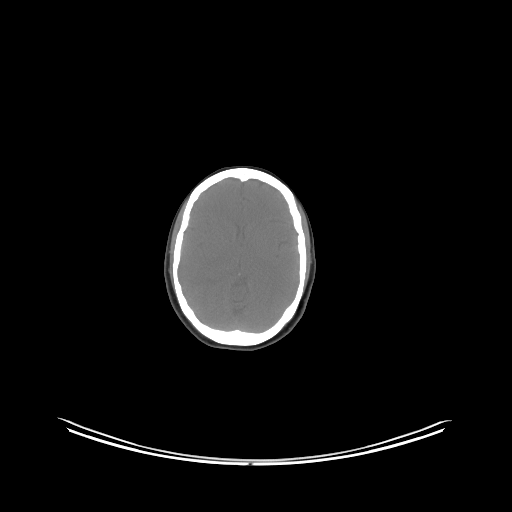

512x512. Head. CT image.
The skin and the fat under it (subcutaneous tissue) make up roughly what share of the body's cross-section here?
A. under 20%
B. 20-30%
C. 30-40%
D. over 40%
A. under 20%
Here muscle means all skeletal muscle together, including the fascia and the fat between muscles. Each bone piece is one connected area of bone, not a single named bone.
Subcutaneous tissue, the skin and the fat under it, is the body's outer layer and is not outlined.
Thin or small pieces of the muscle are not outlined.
The head is outlined by 228,165 260,166 279,176 301,200 312,226 315,243 315,278 303,316 293,330 281,340 273,345 246,354 228,354 216,351 187,333 171,308 163,276 163,259 166,239 171,221 179,204 186,194 207,174 217,168. The bones are outlined by 238,167 252,168 266,172 283,182 292,191 301,217 301,226 305,240 305,276 303,293 297,309 291,319 275,335 253,345 223,344 200,333 183,314 175,294 173,282 173,256 176,236 191,191 205,178 217,172, around a hole outlined by 228,178 234,178 241,182 251,179 257,180 277,190 286,203 292,227 296,233 298,282 294,295 280,316 270,326 260,331 248,331 239,328 222,329 203,322 189,304 179,279 178,270 184,235 194,204 203,192. The brain is outlined by 228,178 234,178 241,182 251,179 257,180 277,190 286,203 292,227 296,233 298,282 294,295 280,316 270,326 260,331 248,331 239,328 222,329 203,322 189,304 179,279 178,270 184,235 194,204 203,192. The muscle appears in 2 outlined pieces: piece 1: 297,201 302,209 302,211 304,213 306,219 308,231 309,232 309,240 310,241 311,263 310,264 309,277 304,291 304,282 306,276 306,260 307,259 307,256 306,255 306,240 302,226 302,217 297,206; piece 2: 185,202 185,205 181,216 179,228 175,236 175,241 173,247 173,255 172,256 172,282 173,283 173,289 173,287 171,284 171,280 169,276 169,249 170,248 171,237 175,225 175,222 177,219 178,214.